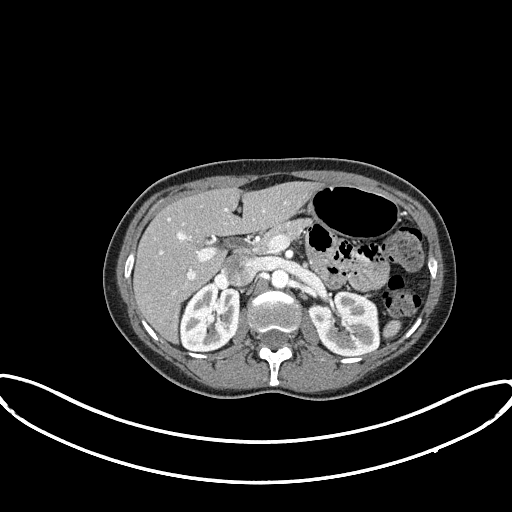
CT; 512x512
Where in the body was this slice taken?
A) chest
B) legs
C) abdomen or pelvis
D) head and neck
C) abdomen or pelvis
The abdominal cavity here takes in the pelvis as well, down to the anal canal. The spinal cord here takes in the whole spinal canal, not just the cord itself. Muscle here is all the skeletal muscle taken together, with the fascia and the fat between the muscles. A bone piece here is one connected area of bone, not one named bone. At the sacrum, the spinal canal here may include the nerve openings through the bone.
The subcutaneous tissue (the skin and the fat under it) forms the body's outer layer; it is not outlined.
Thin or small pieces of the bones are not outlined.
The spinal cord is outlined by [[272,350],[275,350],[281,347],[283,345],[285,344],[287,344],[287,343],[289,342],[289,335],[287,333],[284,333],[283,332],[281,332],[275,329],[273,329],[272,330],[267,331],[264,333],[262,333],[260,335],[260,342],[262,344],[267,346]]. The bones appear in 6 outlined pieces: piece 1: [[272,386],[277,385],[279,382],[277,373],[280,363],[292,356],[294,336],[302,318],[302,309],[299,303],[292,296],[276,290],[268,290],[259,294],[250,301],[247,308],[247,321],[249,326],[256,332],[257,352],[259,357],[265,359],[269,364],[269,384]], around a hole outlined by [[272,350],[275,350],[281,347],[283,345],[285,344],[287,344],[287,343],[289,342],[289,335],[287,333],[284,333],[283,332],[281,332],[275,329],[273,329],[272,330],[267,331],[264,333],[262,333],[260,335],[260,342],[262,344],[267,346]]; piece 2: [[126,279],[128,279],[130,277],[130,274],[131,273],[131,269],[132,268],[132,266],[133,265],[133,260],[134,259],[134,253],[133,252],[131,252],[128,255],[128,256],[127,257],[127,258],[125,261],[125,265],[124,266],[124,276]]; piece 3: [[432,279],[434,279],[435,278],[435,277],[436,276],[436,272],[437,271],[437,261],[435,259],[435,258],[432,255],[430,255],[429,256],[429,257],[428,258],[428,268],[429,269],[429,271],[430,272],[430,277]]; piece 4: [[403,339],[404,339],[405,338],[407,338],[416,329],[416,328],[420,324],[420,323],[421,322],[421,320],[422,319],[420,316],[418,316],[418,317],[416,319],[416,320],[415,321],[415,322],[412,325],[412,326],[404,334],[404,335],[402,337],[402,338]]; piece 5: [[156,341],[158,340],[159,338],[157,336],[155,332],[145,321],[145,320],[144,319],[142,319],[141,321],[142,322],[142,324],[143,326],[145,328],[147,332],[152,337],[152,338]]; piece 6: [[150,210],[151,210],[152,209],[153,209],[153,208],[159,202],[160,202],[162,200],[162,199],[161,198],[160,199],[159,199],[150,208]]. The abdominal cavity is outlined by [[341,358],[365,355],[401,337],[427,295],[426,237],[392,198],[347,182],[276,175],[178,197],[148,221],[136,245],[131,279],[136,305],[159,337],[185,351],[209,353],[225,348],[232,344],[241,310],[246,311],[259,293],[276,289],[300,303],[319,345]]. The muscle is outlined by [[301,392],[337,389],[367,376],[407,350],[423,333],[439,299],[444,272],[437,230],[427,210],[414,198],[389,185],[363,175],[334,170],[275,171],[264,174],[211,176],[169,186],[153,194],[137,211],[123,239],[116,266],[120,295],[133,330],[146,345],[186,375],[207,386],[219,389],[249,389],[269,385],[269,367],[267,362],[257,355],[255,332],[248,326],[245,310],[242,310],[238,330],[231,346],[206,354],[205,359],[193,358],[187,352],[160,338],[156,342],[151,338],[141,324],[140,321],[143,318],[135,305],[131,280],[130,278],[126,280],[123,276],[124,261],[131,251],[134,252],[141,230],[164,204],[178,196],[208,187],[238,186],[261,177],[289,174],[323,181],[347,181],[382,191],[403,205],[422,228],[428,240],[429,255],[432,254],[438,261],[438,271],[434,280],[430,278],[428,295],[420,313],[423,319],[421,324],[407,339],[400,338],[386,344],[366,354],[359,362],[343,364],[339,361],[339,357],[330,354],[318,345],[313,325],[305,314],[295,336],[293,356],[281,363],[278,373],[279,386]], around a hole outlined by [[150,210],[151,210],[152,209],[153,209],[153,208],[159,202],[160,202],[162,200],[162,199],[161,198],[160,199],[159,199],[150,208]]. The torso is outlined by [[308,400],[345,397],[394,376],[411,364],[442,329],[455,297],[456,264],[448,230],[436,207],[413,184],[388,170],[358,160],[334,157],[221,160],[185,168],[152,183],[120,219],[104,258],[104,298],[117,329],[152,368],[190,391],[220,399],[275,392]].